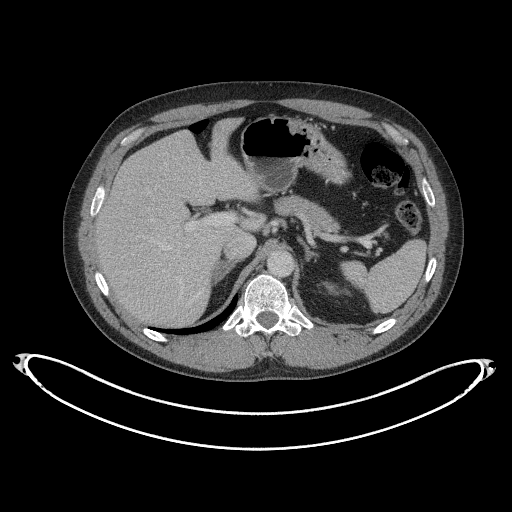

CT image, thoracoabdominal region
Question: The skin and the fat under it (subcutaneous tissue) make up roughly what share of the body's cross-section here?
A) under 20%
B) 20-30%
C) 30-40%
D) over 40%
Answer: A) under 20%
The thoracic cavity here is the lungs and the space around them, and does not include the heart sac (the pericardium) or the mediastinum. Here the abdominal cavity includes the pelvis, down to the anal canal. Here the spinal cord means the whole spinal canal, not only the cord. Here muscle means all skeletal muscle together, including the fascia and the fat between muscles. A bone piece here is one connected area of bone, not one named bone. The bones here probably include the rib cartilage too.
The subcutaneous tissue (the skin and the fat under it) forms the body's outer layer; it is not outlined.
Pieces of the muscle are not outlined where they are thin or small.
Outlined structures:
mediastinum: 237 304; 242 303; 243 300; 243 288; 247 281; 250 278; 260 272; 269 273; 280 279; 286 285; 289 291; 289 295; 292 302; 295 303; 290 294; 290 283; 293 273; 293 256; 289 252; 285 250; 273 250; 260 260; 237 294; 239 296
abdominal cavity: 161 328; 193 327; 220 313; 273 249; 294 256; 291 294; 312 321; 354 328; 393 316; 417 289; 428 260; 426 204; 411 165; 371 128; 273 103; 252 104; 148 136; 130 148; 116 168; 96 216; 96 244; 100 269; 116 302; 142 325
torso: 234 382; 314 379; 364 366; 410 345; 445 306; 463 253; 461 197; 439 146; 420 120; 399 103; 366 90; 311 81; 197 84; 148 97; 124 109; 105 128; 83 161; 63 210; 62 253; 69 283; 88 317; 114 344; 145 362; 187 376
thoracic cavity: 168 334; 197 333; 202 331; 206 331; 215 327; 220 323; 222 323; 234 309; 237 303; 238 296; 235 295; 228 306; 220 314; 199 326; 196 326; 193 328; 184 328; 183 329; 161 329; 150 327; 150 328; 157 330; 162 333; 167 333
bones 1: 243 337; 256 331; 260 331; 269 337; 278 330; 290 336; 294 336; 300 332; 302 327; 310 329; 314 324; 291 302; 288 291; 280 280; 269 274; 260 273; 248 281; 244 288; 243 303; 237 305; 221 325; 223 330; 234 328; 236 332 with a hole at 265 327; 270 327; 271 326; 272 326; 277 321; 277 319; 278 318; 278 317; 276 314; 275 314; 272 312; 270 312; 269 311; 266 311; 265 312; 262 312; 261 313; 258 314; 258 315; 256 317; 257 320; 263 326; 264 326
bones 2: 91 216; 95 216; 97 214; 97 213; 99 211; 99 209; 101 206; 101 204; 104 199; 104 197; 106 193; 106 190; 104 186; 102 184; 99 185; 97 187; 95 191; 95 193; 92 198; 92 200; 91 201; 91 205; 90 206; 90 215
bones 3: 431 207; 433 207; 435 205; 435 199; 434 198; 434 195; 433 194; 432 189; 431 188; 428 181; 426 179; 426 178; 425 177; 422 177; 422 178; 421 179; 421 191; 424 196; 424 198; 426 201; 426 203; 429 206; 430 206
bones 4: 402 144; 407 144; 408 143; 408 139; 407 138; 402 136; 401 135; 401 134; 391 125; 390 125; 387 123; 382 122; 382 125; 385 128; 385 129; 387 131; 387 132; 393 138; 393 139; 396 142; 398 142; 399 143; 401 143
bones 5: 373 334; 376 334; 377 333; 380 333; 381 332; 382 332; 383 331; 384 331; 385 330; 390 328; 396 322; 396 319; 394 317; 390 317; 389 318; 388 318; 386 320; 381 322; 379 324; 378 324; 376 326; 375 326; 371 330; 371 332
bones 6: 105 296; 108 296; 109 295; 109 290; 108 289; 107 284; 101 272; 97 270; 95 271; 95 273; 94 274; 94 276; 95 277; 95 280; 96 281; 96 283; 98 287; 100 289; 102 293
bones 7: 161 342; 165 342; 166 341; 167 341; 167 338; 163 334; 162 334; 157 331; 155 331; 152 329; 150 329; 148 327; 143 327; 143 328; 142 329; 142 331; 148 337; 149 337; 154 340; 156 340; 157 341; 160 341
bones 8: 122 147; 123 146; 126 146; 130 142; 131 142; 133 140; 136 139; 140 135; 140 134; 143 131; 144 128; 143 127; 141 127; 140 128; 138 128; 137 129; 134 130; 132 132; 131 132; 128 135; 125 136; 120 141; 120 145
bones 9: 425 282; 428 282; 430 280; 435 270; 435 267; 436 266; 436 259; 435 257; 433 256; 431 256; 429 258; 429 260; 428 261; 428 264; 427 265; 427 267; 426 268; 426 271; 424 275; 424 281
muscle: 212 372; 226 372; 235 369; 241 369; 242 368; 251 367; 255 365; 256 363; 260 362; 267 356; 272 357; 280 363; 283 363; 290 366; 308 367; 312 369; 332 368; 363 358; 383 348; 403 334; 431 307; 433 302; 439 294; 442 283; 442 275; 444 271; 444 263; 445 262; 445 255; 444 254; 445 251; 445 240; 447 237; 447 234; 449 229; 449 222; 447 215; 445 194; 443 191; 440 181; 438 179; 434 164; 428 155; 425 146; 420 139; 413 132; 399 125; 388 118; 381 117; 376 114; 374 114; 364 109; 355 106; 343 104; 338 102; 333 102; 327 100; 308 99; 307 98; 232 99; 231 100; 219 101; 212 103; 190 104; 176 108; 172 108; 157 113; 151 117; 149 117; 122 130; 106 145; 87 184; 80 210; 80 223; 78 227; 77 238; 78 239; 78 249; 83 261; 83 269; 85 276; 86 289; 91 297; 91 299; 95 307; 102 317; 111 326; 116 329; 130 341; 152 352; 154 354; 174 363; 181 364; 199 370; 211 371; inner edges: 161 342; 167 341; 164 333; 197 333; 220 323; 243 337; 256 331; 269 337; 278 330; 294 336; 314 321; 338 328; 374 325; 373 334; 390 328; 394 314; 435 270; 435 257; 427 258; 426 205; 435 205; 428 181; 422 177; 420 191; 411 165; 377 131; 273 103; 148 136; 121 159; 104 204; 106 190; 97 187; 90 215; 96 217; 98 287; 109 295; 103 273; 120 307; 144 326; 148 337, then 402 144; 407 144; 408 143; 408 139; 407 138; 402 136; 401 135; 401 134; 391 125; 390 125; 387 123; 382 122; 382 125; 385 128; 385 129; 387 131; 387 132; 393 138; 393 139; 396 142; 398 142; 399 143; 401 143, then 122 147; 123 146; 126 146; 130 142; 131 142; 133 140; 136 139; 140 135; 140 134; 143 131; 144 128; 143 127; 141 127; 140 128; 138 128; 137 129; 134 130; 132 132; 131 132; 128 135; 125 136; 120 141; 120 145
spinal cord: 265 327; 270 327; 271 326; 272 326; 277 321; 277 319; 278 318; 278 317; 276 314; 275 314; 272 312; 270 312; 269 311; 266 311; 265 312; 262 312; 261 313; 258 314; 258 315; 256 317; 257 320; 263 326; 264 326